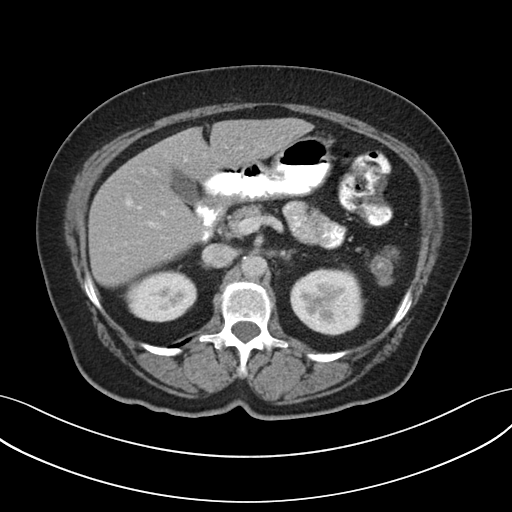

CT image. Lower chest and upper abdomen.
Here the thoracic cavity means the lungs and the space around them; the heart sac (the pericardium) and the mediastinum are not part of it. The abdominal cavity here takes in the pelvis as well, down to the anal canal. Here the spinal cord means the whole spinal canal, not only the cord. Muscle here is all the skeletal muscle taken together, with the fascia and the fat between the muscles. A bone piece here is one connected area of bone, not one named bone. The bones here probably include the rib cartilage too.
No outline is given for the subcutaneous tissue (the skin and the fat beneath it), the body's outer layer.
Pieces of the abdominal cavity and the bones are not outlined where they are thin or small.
The thoracic cavity is outlined by 186 339; 190 339; 187 342; 186 342; 185 343; 184 343; 181 346; 168 346; 171 346; 172 345; 173 345; 174 344; 177 344; 178 343; 179 343; 180 342; 181 342; 182 341; 183 341; 184 340; 185 340. The spinal cord is outlined by 244 321; 246 322; 251 322; 255 324; 258 327; 259 329; 259 333; 257 335; 254 336; 252 338; 251 338; 249 340; 245 342; 242 341; 232 332; 232 327; 233 325; 234 325; 238 322; 243 322. The torso is outlined by 243 64; 315 67; 377 83; 425 111; 459 156; 472 208; 470 250; 412 374; 389 396; 293 419; 262 420; 240 406; 222 414; 185 417; 109 397; 81 375; 72 359; 48 297; 35 243; 37 200; 55 152; 90 111; 127 88; 174 73. The abdominal cavity is outlined by 258 106; 313 115; 375 139; 415 174; 422 195; 421 243; 413 277; 393 317; 359 345; 318 352; 283 330; 261 284; 234 280; 219 295; 219 310; 191 338; 167 346; 134 338; 106 309; 87 263; 84 217; 94 185; 114 158; 149 133. The bones appear in 5 outlined pieces: piece 1: 234 281; 251 281; 265 289; 273 304; 267 329; 273 337; 288 343; 287 347; 273 347; 270 351; 253 349; 246 362; 246 376; 240 376; 237 371; 240 361; 235 347; 217 349; 212 342; 198 338; 222 329; 224 320; 220 295; 226 285; inner edge: 244 321; 246 322; 251 322; 255 324; 258 327; 259 329; 259 333; 257 335; 254 336; 252 338; 251 338; 249 340; 245 342; 242 341; 232 332; 232 327; 233 325; 234 325; 238 322; 243 322; piece 2: 408 288; 410 288; 412 292; 412 301; 411 302; 411 305; 409 309; 403 317; 403 318; 399 322; 398 322; 393 328; 389 330; 387 330; 386 329; 387 328; 387 326; 389 324; 391 320; 394 317; 401 303; 401 301; 406 291; 408 289; piece 3: 87 271; 89 272; 89 274; 93 282; 93 284; 95 288; 95 292; 96 293; 96 295; 104 310; 104 314; 103 314; 96 307; 96 306; 93 303; 92 303; 92 302; 86 295; 86 293; 84 289; 84 275; piece 4: 140 342; 146 342; 149 344; 152 344; 153 345; 156 345; 157 346; 166 346; 167 347; 179 347; 182 349; 182 351; 179 354; 177 354; 176 355; 160 355; 159 354; 155 354; 154 353; 152 353; 148 351; 146 349; 142 347; 140 345; piece 5: 341 350; 348 350; 348 352; 343 356; 342 356; 337 359; 332 360; 331 361; 326 361; 325 362; 321 362; 320 361; 314 361; 313 360; 311 360; 310 359; 309 359; 306 356; 306 353; 329 353; 330 352; 336 352; 337 351; 340 351. The muscle is outlined by 264 101; 305 104; 316 107; 328 108; 349 115; 352 117; 366 121; 401 140; 422 156; 436 172; 443 191; 445 222; 444 223; 443 240; 439 251; 439 255; 415 313; 413 315; 413 318; 396 350; 383 361; 374 365; 365 374; 350 385; 327 395; 304 400; 296 403; 282 404; 281 405; 274 405; 260 398; 254 393; 248 385; 241 380; 238 380; 230 384; 222 390; 207 397; 188 398; 172 394; 150 384; 137 375; 111 352; 98 338; 79 290; 76 279; 66 253; 63 241; 62 236; 62 215; 67 199; 68 192; 80 166; 100 146; 122 132; 158 119; 166 115; 170 115; 174 113; 201 106; 221 104; 228 102; 263 102; inner edges: 258 106; 283 107; 332 121; 397 154; 415 174; 423 197; 421 243; 408 286; 411 305; 393 328; 387 330; 386 326; 337 359; 314 361; 306 353; 318 352; 283 330; 274 304; 267 329; 288 346; 253 349; 246 362; 247 375; 240 376; 235 347; 217 349; 212 342; 198 338; 222 329; 224 320; 218 308; 176 355; 148 351; 113 318; 87 263; 84 217; 90 193; 105 168; 136 140; 182 121, then 87 271; 89 272; 89 274; 93 282; 93 284; 95 288; 95 292; 96 293; 96 295; 104 310; 104 314; 103 314; 96 307; 96 306; 93 303; 92 303; 92 302; 86 295; 86 293; 84 289; 84 275.